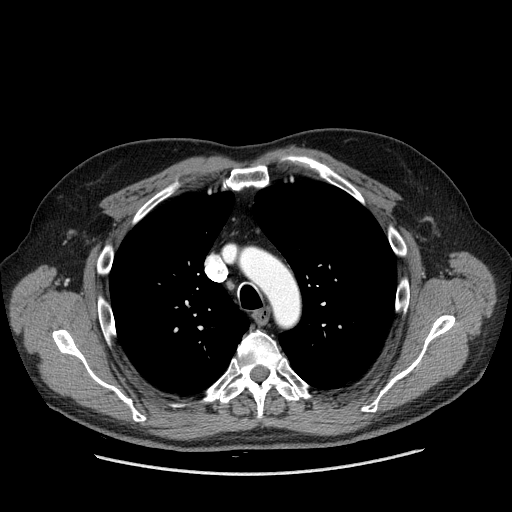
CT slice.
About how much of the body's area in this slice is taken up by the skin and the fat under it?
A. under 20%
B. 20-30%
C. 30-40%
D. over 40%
B. 20-30%
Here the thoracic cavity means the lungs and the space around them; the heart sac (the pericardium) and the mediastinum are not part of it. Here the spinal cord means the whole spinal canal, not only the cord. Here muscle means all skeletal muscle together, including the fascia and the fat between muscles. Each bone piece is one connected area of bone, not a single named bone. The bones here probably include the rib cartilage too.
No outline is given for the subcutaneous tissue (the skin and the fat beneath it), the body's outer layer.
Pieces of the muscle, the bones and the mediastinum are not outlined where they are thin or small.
{"thoracic_cavity":[[[290,174],[324,181],[339,188],[366,207],[385,232],[396,257],[394,315],[381,351],[360,380],[341,389],[312,388],[291,367],[279,344],[279,334],[292,330],[301,319],[302,296],[291,266],[257,223],[252,207],[258,190],[267,187],[272,180],[286,178]],[[206,186],[232,191],[234,203],[230,214],[204,258],[203,271],[211,281],[220,284],[225,289],[233,303],[250,322],[224,372],[201,395],[179,395],[162,391],[149,383],[132,365],[119,344],[110,302],[108,275],[115,251],[131,228],[165,200]]],"torso":[[[324,127],[378,132],[416,148],[446,172],[477,221],[511,254],[503,321],[478,381],[453,402],[403,429],[315,449],[187,453],[149,448],[104,437],[52,409],[17,349],[0,271],[0,261],[26,235],[50,188],[86,158],[129,141],[191,137],[244,145]]],"muscle":[{"outer":[[289,144],[323,150],[388,186],[403,197],[417,231],[425,243],[445,249],[467,251],[487,266],[494,278],[497,301],[460,370],[415,399],[382,415],[377,421],[352,432],[337,435],[309,435],[282,428],[257,426],[247,430],[227,431],[190,440],[169,439],[121,424],[107,415],[61,396],[42,381],[12,327],[9,313],[12,289],[25,275],[65,251],[79,237],[104,197],[192,155],[219,153],[237,160],[250,160],[269,149]],"holes":[[[285,154],[328,165],[360,192],[386,234],[390,223],[400,233],[405,315],[394,314],[360,380],[311,388],[311,398],[297,400],[273,386],[260,419],[246,388],[227,403],[160,390],[116,338],[110,348],[103,335],[97,297],[110,301],[109,277],[97,273],[103,246],[115,251],[137,210],[177,176],[182,184],[170,198],[215,188],[233,167],[255,162],[268,167],[271,180],[321,180],[280,161]],[[58,329],[64,329],[70,334],[75,345],[84,356],[89,367],[100,379],[108,384],[115,386],[132,400],[134,407],[146,417],[144,421],[135,421],[132,417],[132,413],[129,407],[112,390],[99,384],[93,379],[78,357],[60,351],[52,337],[52,332]],[[445,314],[453,315],[455,317],[454,324],[448,330],[429,342],[420,361],[411,371],[397,380],[380,398],[376,411],[361,411],[360,409],[362,406],[371,403],[376,398],[380,390],[394,376],[408,367],[416,359],[423,347],[432,324],[438,317]],[[168,402],[186,402],[187,403],[188,403],[188,405],[187,405],[186,406],[184,406],[183,407],[176,407],[175,408],[174,408],[173,407],[171,407],[170,406],[169,406],[168,405],[168,404],[167,403]]]}],"spinal_cord":[[[259,365],[260,365],[261,366],[264,367],[267,370],[268,373],[267,374],[267,376],[262,381],[261,381],[260,382],[257,382],[256,381],[253,380],[251,378],[251,376],[250,375],[250,374],[251,373],[251,371],[255,367],[256,367]]],"bones":[{"outer":[[256,329],[265,332],[276,342],[287,358],[290,367],[310,386],[312,397],[287,400],[273,386],[265,394],[263,415],[260,419],[256,417],[256,402],[246,388],[227,403],[221,403],[217,399],[206,403],[198,402],[203,392],[225,372],[236,354],[243,336]],"hole":[[259,365],[260,365],[261,366],[264,367],[267,370],[268,373],[267,374],[267,376],[262,381],[261,381],[260,382],[257,382],[256,381],[253,380],[251,378],[251,376],[250,375],[250,374],[251,373],[251,371],[255,367],[256,367]]},[[285,154],[306,155],[325,163],[341,176],[351,182],[360,192],[364,198],[366,203],[366,206],[364,206],[354,197],[339,187],[333,184],[331,184],[322,179],[319,175],[312,169],[305,168],[300,165],[294,164],[289,161],[280,161],[279,160],[279,157]],[[58,329],[64,329],[70,334],[75,345],[84,356],[89,367],[100,379],[108,384],[115,386],[132,400],[134,407],[146,417],[144,421],[135,421],[132,417],[132,413],[129,407],[112,390],[99,384],[93,379],[78,357],[60,351],[52,337],[52,332]],[[255,162],[265,164],[268,167],[268,173],[271,180],[267,186],[259,189],[257,189],[253,186],[250,186],[244,187],[240,190],[235,191],[230,189],[224,190],[220,186],[218,186],[220,185],[222,180],[229,175],[230,171],[233,167],[247,166]],[[445,314],[453,315],[455,317],[454,324],[448,330],[429,342],[420,361],[411,371],[397,380],[380,398],[376,411],[361,411],[360,409],[362,406],[371,403],[376,398],[380,390],[394,376],[408,367],[416,359],[423,347],[432,324],[438,317]],[[99,294],[102,294],[110,303],[110,306],[113,314],[113,319],[114,320],[114,325],[115,326],[115,331],[116,332],[116,338],[113,339],[113,343],[111,348],[108,346],[105,340],[98,319],[98,312],[97,311],[97,297]],[[177,176],[178,177],[178,179],[182,183],[181,186],[179,187],[168,198],[160,202],[146,215],[145,215],[135,225],[134,225],[130,228],[131,221],[137,210],[156,192],[159,191],[161,189],[164,188],[167,185],[171,183],[174,180],[175,177]],[[403,275],[406,275],[409,281],[409,303],[407,307],[407,311],[405,315],[403,316],[403,315],[401,313],[395,313],[395,300],[396,299],[396,291],[397,290],[397,285],[398,284],[398,280],[399,278]],[[390,223],[392,224],[397,229],[397,230],[402,236],[405,242],[405,244],[407,248],[407,252],[406,253],[406,255],[405,257],[398,257],[396,256],[396,255],[394,253],[390,245],[390,243],[387,237],[387,226],[388,224]],[[108,242],[111,243],[113,245],[113,247],[114,248],[114,254],[113,255],[113,260],[112,261],[112,263],[111,264],[111,267],[110,268],[109,273],[107,275],[99,275],[97,273],[97,259],[98,258],[98,256],[99,255],[103,246],[106,243],[107,243]]],"mediastinum":[[[250,187],[257,190],[251,207],[253,217],[262,232],[290,266],[301,296],[300,319],[292,329],[278,334],[278,344],[270,335],[259,328],[244,334],[248,330],[251,321],[234,303],[226,289],[220,283],[211,280],[204,271],[205,258],[234,207],[234,192]]]}